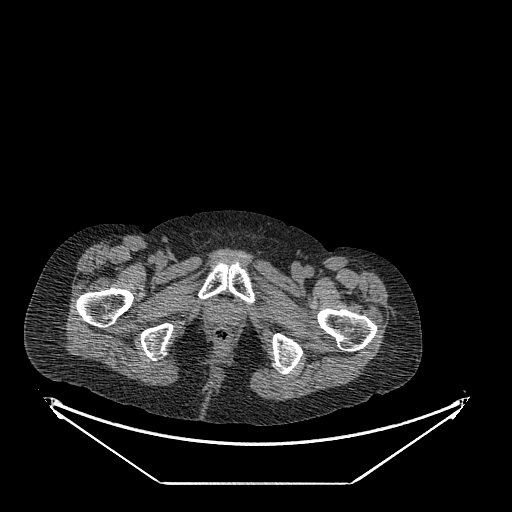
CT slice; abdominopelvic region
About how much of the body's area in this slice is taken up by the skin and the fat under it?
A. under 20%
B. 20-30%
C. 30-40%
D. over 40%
D. over 40%
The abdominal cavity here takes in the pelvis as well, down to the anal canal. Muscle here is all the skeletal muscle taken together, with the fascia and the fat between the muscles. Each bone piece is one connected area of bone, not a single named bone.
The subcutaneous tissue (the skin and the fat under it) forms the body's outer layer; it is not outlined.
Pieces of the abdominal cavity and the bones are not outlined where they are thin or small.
{"abdominal_cavity":[[[225,291],[228,291],[235,297],[235,299],[241,309],[242,318],[240,326],[232,339],[231,349],[228,354],[227,359],[225,362],[219,364],[214,360],[210,359],[206,356],[210,348],[210,343],[208,339],[208,330],[207,329],[207,305],[211,301],[212,297]]],"muscle":[{"outer":[[114,233],[147,238],[147,256],[158,269],[228,247],[268,261],[304,287],[313,286],[321,262],[328,257],[366,262],[384,280],[388,292],[389,319],[383,344],[356,379],[275,401],[258,396],[247,386],[251,373],[268,360],[251,323],[241,335],[236,359],[217,391],[208,381],[210,368],[199,363],[196,355],[201,339],[196,318],[174,344],[181,377],[167,386],[143,385],[101,363],[71,355],[63,346],[75,262],[89,246]],"holes":[[[219,260],[229,264],[234,261],[240,262],[241,266],[249,274],[255,294],[254,302],[249,305],[237,296],[235,297],[242,313],[241,323],[232,339],[227,359],[221,364],[206,356],[210,348],[207,329],[207,305],[212,298],[203,300],[197,296],[208,272]],[[324,308],[333,308],[334,309],[346,308],[350,311],[359,314],[363,314],[367,316],[377,326],[377,331],[374,337],[365,347],[361,349],[352,352],[342,351],[340,350],[337,347],[334,338],[322,329],[319,326],[319,324],[317,321],[316,316],[318,311]],[[111,286],[114,286],[118,288],[127,289],[133,294],[134,298],[130,307],[116,320],[115,323],[104,328],[94,326],[84,321],[76,309],[76,307],[75,306],[76,299],[80,295],[85,292],[88,292],[89,291],[99,291],[103,289],[106,289]],[[163,322],[168,322],[173,324],[175,326],[172,333],[172,337],[170,339],[170,344],[167,346],[167,352],[168,353],[161,359],[156,361],[153,361],[151,360],[144,353],[141,347],[141,343],[140,342],[140,333],[144,329],[148,327],[152,327]],[[276,332],[279,332],[281,334],[288,337],[290,339],[292,339],[294,341],[296,341],[300,345],[300,346],[303,350],[303,354],[301,356],[298,363],[296,365],[296,366],[289,373],[288,373],[287,374],[281,374],[279,372],[278,372],[273,367],[273,334]]]}],"bones":[[[324,308],[333,308],[334,309],[346,308],[350,311],[359,314],[363,314],[367,316],[377,326],[377,331],[374,337],[365,347],[361,349],[352,352],[342,351],[340,350],[337,347],[334,338],[322,329],[319,326],[319,324],[317,321],[316,316],[318,311]],[[111,286],[114,286],[118,288],[127,289],[133,294],[134,298],[130,307],[116,320],[115,323],[104,328],[94,326],[84,321],[76,309],[76,307],[75,306],[76,299],[80,295],[85,292],[88,292],[89,291],[99,291],[103,289],[106,289]],[[219,260],[222,260],[229,264],[234,261],[240,262],[241,266],[247,270],[251,279],[252,288],[255,294],[255,300],[252,304],[248,305],[244,301],[241,300],[237,296],[235,296],[228,290],[225,290],[204,300],[198,298],[197,293],[203,284],[208,272]],[[163,322],[168,322],[173,324],[175,326],[172,333],[172,337],[170,339],[170,344],[167,346],[167,352],[168,353],[161,359],[156,361],[153,361],[151,360],[144,353],[141,347],[141,343],[140,342],[140,333],[144,329],[148,327],[152,327]],[[276,332],[279,332],[281,334],[288,337],[290,339],[292,339],[294,341],[296,341],[300,345],[300,346],[303,350],[303,354],[301,356],[298,363],[296,365],[296,366],[289,373],[288,373],[287,374],[281,374],[279,372],[278,372],[273,367],[273,334]]],"torso":[[[222,209],[265,214],[302,229],[329,250],[361,248],[391,262],[409,284],[421,321],[422,356],[410,380],[325,415],[258,426],[164,417],[38,372],[25,353],[23,322],[37,279],[64,240],[94,224],[133,224],[147,231],[174,217]]]}